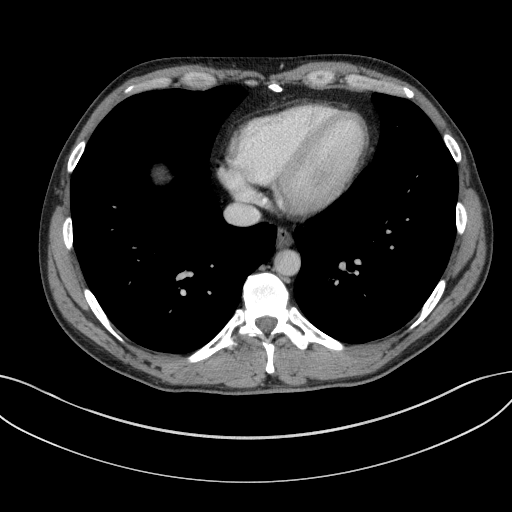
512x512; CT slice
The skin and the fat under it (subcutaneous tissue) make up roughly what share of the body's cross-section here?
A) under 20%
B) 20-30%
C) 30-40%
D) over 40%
Answer: A) under 20%
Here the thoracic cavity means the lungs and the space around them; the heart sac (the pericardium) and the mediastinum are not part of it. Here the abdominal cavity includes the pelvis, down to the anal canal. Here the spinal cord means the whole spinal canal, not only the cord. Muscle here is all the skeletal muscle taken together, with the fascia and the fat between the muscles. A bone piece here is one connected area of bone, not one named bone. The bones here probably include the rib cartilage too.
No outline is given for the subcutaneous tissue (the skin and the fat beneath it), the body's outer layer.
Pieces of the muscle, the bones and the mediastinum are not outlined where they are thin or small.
The muscle is outlined by 239,388 254,387 259,385 264,381 268,374 274,377 277,377 280,380 288,384 300,385 307,382 309,379 332,380 338,378 362,375 375,371 398,355 418,338 433,329 453,309 462,302 471,291 477,281 485,260 485,252 486,251 485,232 482,218 482,207 479,200 479,197 473,188 470,180 470,171 466,154 461,144 452,133 446,122 436,108 421,92 407,82 395,77 380,73 372,69 343,61 312,61 302,64 295,68 281,72 272,73 267,76 255,70 244,70 231,68 218,69 213,67 203,66 199,64 186,64 158,69 140,76 133,77 125,81 112,91 97,106 79,133 66,158 62,168 61,175 60,176 59,175 59,184 57,190 56,206 51,216 48,234 49,237 49,242 47,248 48,282 52,296 63,317 74,328 107,350 116,358 139,370 159,378 163,382 167,382 171,384 182,384 183,385 222,383 228,387 238,387; inner edge: 270,374 272,341 280,334 302,350 310,342 342,350 344,342 380,339 413,318 410,330 432,310 446,285 441,275 455,234 462,234 467,219 457,199 459,147 450,134 438,133 411,101 410,89 360,74 342,78 348,89 321,88 335,81 330,70 312,71 304,85 283,88 275,82 258,86 251,79 219,85 214,76 198,71 180,78 187,89 169,88 169,77 131,84 123,91 125,98 87,143 75,146 67,162 71,214 62,232 88,285 85,298 119,341 124,342 123,333 155,351 188,353 189,362 220,348 232,349 237,344 235,329 256,336 266,351 265,370. The abdominal cavity is outlined by 158,186 162,186 163,185 165,185 169,183 172,179 172,175 169,171 168,168 164,164 162,164 161,163 159,163 158,164 154,164 154,165 152,166 150,170 150,177 152,180 152,182 155,185 157,185. The spinal cord is outlined by 266,334 267,334 275,326 275,325 276,324 276,320 274,318 273,318 272,317 270,317 269,316 264,316 263,317 261,317 260,318 259,318 258,319 257,319 256,320 256,324 257,325 257,326 263,332 264,332. The bones appear in 11 outlined pieces: piece 1: 270,374 274,371 272,341 280,334 302,350 310,342 334,350 345,346 289,304 289,292 276,275 252,273 243,285 243,305 211,340 185,359 195,362 220,348 232,349 237,344 232,335 236,329 240,335 261,340; inner edge: 266,334 267,334 275,326 275,325 276,324 276,320 274,318 273,318 272,317 270,317 269,316 264,316 263,317 261,317 260,318 259,318 258,319 257,319 256,320 256,324 257,325 257,326 263,332 264,332; piece 2: 409,99 413,98 414,93 410,89 402,85 398,85 391,82 387,82 382,80 377,80 360,74 353,74 352,73 345,75 341,80 351,89 357,89 358,90 369,89 370,90 379,91 400,97 405,97; piece 3: 121,342 124,342 124,340 120,332 111,323 91,291 87,287 85,287 83,289 83,292 84,293 85,298 90,308 92,310 96,317 106,328 106,329 119,341; piece 4: 407,330 410,330 412,329 420,322 421,322 427,316 427,315 435,306 441,297 446,285 446,281 444,278 441,278 439,280 435,286 434,289 432,291 431,294 422,306 420,311 416,315 416,317 414,320 409,325; piece 5: 191,89 206,89 207,88 210,88 213,86 217,85 218,84 218,81 214,76 210,74 208,74 205,72 199,72 198,71 190,71 189,72 185,73 180,78 180,80 184,85 185,85 188,88 190,88; piece 6: 125,97 130,96 133,94 145,90 149,90 155,88 165,88 168,87 171,84 172,79 169,77 159,77 141,83 131,84 125,88 123,91; piece 7: 317,88 321,88 328,84 333,83 335,81 335,79 336,78 335,77 335,74 332,71 330,70 318,70 317,71 312,71 308,73 306,76 306,80 304,81 304,83 306,85 310,87 316,87; piece 8: 457,234 462,234 465,228 465,224 466,223 466,220 467,219 467,215 466,214 466,210 465,209 465,207 464,205 459,200 457,201 456,203 456,207 455,208 455,225 456,226 456,233; piece 9: 68,173 71,173 73,171 75,166 77,164 84,150 84,148 86,145 86,141 84,140 82,140 80,141 75,146 75,147 71,152 70,154 70,156 67,162 67,172; piece 10: 456,163 458,163 461,160 461,153 460,152 459,147 458,146 456,141 450,134 449,134 448,133 444,133 442,136 442,138 443,139 443,140 444,141 447,148 449,150 449,151 450,152 450,153 451,154 454,161; piece 11: 70,250 73,248 73,232 72,231 72,223 71,222 71,217 70,216 70,215 69,215 68,216 67,216 64,219 64,221 63,222 63,224 62,225 62,232 63,233 63,239 64,240 65,245 66,246 66,247. The pericardium is outlined by 292,223 303,223 339,198 349,188 373,155 376,143 375,132 365,114 359,108 320,96 290,96 272,100 259,108 243,114 234,120 226,130 220,146 219,155 214,160 214,177 218,185 233,199 257,203 270,215. The torso is outlined by 225,395 348,387 378,379 443,336 481,291 492,261 494,233 491,209 473,154 437,99 402,68 376,57 353,53 155,58 126,69 108,83 63,144 45,192 38,230 40,279 54,318 78,347 120,374 163,391. The mediastinum is outlined by 291,295 301,265 293,231 302,224 277,220 257,204 233,200 217,185 213,160 218,155 225,130 238,116 272,99 320,95 359,107 376,132 376,149 380,120 371,101 374,91 288,85 282,92 275,93 261,86 223,83 244,87 247,94 215,137 208,161 211,170 208,187 218,199 228,223 246,227 266,221 275,225 273,252 253,273 269,271 276,274. The thoracic cavity appears in 2 outlined pieces: piece 1: 175,354 190,353 222,328 242,305 246,277 270,256 274,245 274,225 263,222 240,228 228,224 207,187 207,161 214,137 246,94 239,86 155,89 125,98 97,126 71,176 74,249 88,287 112,323 130,340, around a hole outlined by 158,186 162,186 163,185 165,185 169,183 172,179 172,175 169,171 168,168 164,164 162,164 161,163 159,163 158,164 154,164 154,165 152,166 150,170 150,177 152,180 152,182 155,185 157,185; piece 2: 347,343 380,339 409,322 441,277 455,237 454,208 458,187 456,164 441,136 417,105 411,100 379,92 372,94 372,101 380,116 381,129 371,163 339,199 298,225 294,231 302,265 290,304 296,305 315,326.